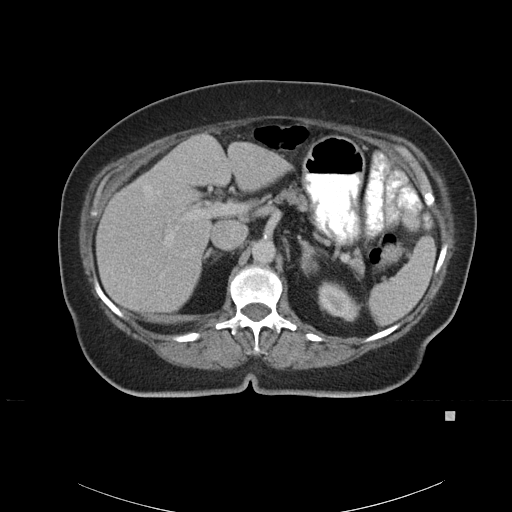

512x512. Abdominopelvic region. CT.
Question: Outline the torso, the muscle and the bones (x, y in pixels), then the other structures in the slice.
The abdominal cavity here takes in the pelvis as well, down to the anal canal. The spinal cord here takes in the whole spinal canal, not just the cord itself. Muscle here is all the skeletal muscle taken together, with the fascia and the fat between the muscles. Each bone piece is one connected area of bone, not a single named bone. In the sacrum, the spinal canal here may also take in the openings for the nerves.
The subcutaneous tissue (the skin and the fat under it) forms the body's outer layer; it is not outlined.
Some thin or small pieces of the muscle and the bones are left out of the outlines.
Answer: {"torso":[[[243,79],[329,82],[385,95],[431,123],[467,172],[477,229],[465,287],[453,317],[428,343],[419,369],[405,383],[351,398],[267,395],[250,383],[230,394],[143,398],[110,384],[84,356],[64,301],[57,249],[61,194],[73,165],[104,131],[140,107]]],"muscle":[{"outer":[[258,115],[302,116],[315,119],[321,119],[325,121],[333,121],[342,124],[349,124],[364,128],[375,129],[401,136],[412,142],[424,153],[432,166],[439,173],[443,179],[445,185],[447,187],[449,199],[451,202],[451,211],[453,214],[454,226],[455,227],[455,232],[454,233],[455,242],[453,253],[447,266],[447,272],[445,275],[444,281],[435,295],[435,297],[432,300],[432,304],[419,321],[409,331],[398,339],[375,349],[369,350],[358,358],[350,362],[337,366],[309,368],[300,370],[282,370],[281,369],[275,369],[268,366],[259,358],[251,357],[243,364],[237,367],[230,369],[223,369],[221,371],[218,370],[205,370],[197,368],[184,368],[173,365],[167,362],[161,358],[146,344],[127,335],[113,324],[99,307],[97,300],[91,292],[90,285],[87,280],[87,276],[84,272],[84,269],[81,262],[79,252],[79,236],[78,235],[80,225],[80,214],[83,202],[89,184],[94,176],[104,166],[111,161],[114,161],[156,139],[161,138],[172,133],[201,125],[216,123],[226,120],[233,120],[251,116],[257,116]],"holes":[[[274,119],[342,132],[386,149],[424,201],[420,181],[396,149],[401,145],[412,154],[434,196],[429,211],[439,248],[447,244],[417,306],[392,332],[363,342],[364,337],[321,333],[302,321],[285,283],[276,310],[297,327],[279,333],[262,327],[258,353],[249,327],[238,327],[234,335],[215,328],[236,312],[228,288],[221,307],[207,314],[114,313],[94,288],[97,217],[90,211],[100,184],[99,212],[122,182],[178,141]],[[187,332],[198,332],[200,334],[200,336],[199,337],[199,338],[196,340],[194,340],[193,341],[181,341],[180,342],[179,342],[178,341],[176,341],[175,340],[172,339],[172,336],[173,336],[174,335],[177,335],[178,334],[183,334],[184,333],[186,333]],[[308,332],[312,332],[313,333],[315,333],[316,334],[317,334],[318,335],[319,335],[320,336],[321,336],[322,337],[323,337],[325,339],[323,341],[312,341],[311,340],[309,340],[308,339],[307,339],[305,337],[305,334],[306,333],[307,333]]]}],"bones":[{"outer":[[251,264],[268,267],[279,276],[282,292],[276,310],[297,327],[295,330],[283,327],[279,333],[262,327],[258,336],[258,353],[254,352],[254,335],[249,327],[238,327],[234,335],[229,328],[215,328],[217,322],[235,314],[236,307],[229,285],[240,269]],"hole":[[252,303],[261,303],[262,304],[264,304],[269,309],[269,313],[268,314],[267,314],[264,317],[263,317],[261,319],[260,319],[259,320],[253,320],[252,319],[251,319],[248,316],[247,316],[242,312],[242,309],[246,305],[247,305],[248,304],[251,304]]},[[399,145],[404,146],[408,149],[422,170],[425,173],[431,187],[432,193],[434,196],[434,202],[430,207],[426,204],[424,195],[422,191],[422,188],[420,185],[420,181],[418,179],[414,170],[411,167],[409,162],[406,158],[396,149],[396,147]],[[95,277],[96,277],[99,283],[99,285],[101,287],[101,289],[103,291],[103,292],[107,296],[107,297],[109,298],[109,299],[123,313],[125,318],[121,318],[115,313],[114,313],[110,309],[110,308],[99,297],[99,296],[97,294],[94,288],[94,278]],[[397,323],[400,323],[400,325],[396,329],[395,329],[389,334],[383,337],[378,338],[375,340],[372,340],[371,341],[368,341],[367,342],[363,342],[362,341],[363,339],[364,339],[366,337],[368,336],[370,336],[386,328],[388,328]],[[187,332],[198,332],[200,334],[200,336],[199,337],[199,338],[196,340],[194,340],[193,341],[181,341],[180,342],[179,342],[178,341],[176,341],[175,340],[172,339],[172,336],[173,336],[174,335],[177,335],[178,334],[183,334],[184,333],[186,333]],[[103,181],[104,181],[104,183],[102,186],[102,188],[100,192],[100,196],[99,197],[99,200],[97,205],[97,211],[98,213],[96,216],[91,216],[90,214],[90,211],[92,208],[92,203],[93,202],[93,200],[96,195],[96,192],[100,184]],[[444,243],[446,243],[447,244],[447,249],[446,250],[445,257],[443,260],[443,262],[439,270],[436,273],[434,273],[434,269],[436,265],[436,262],[438,258],[438,255],[439,254],[440,249],[442,245]]],"abdominal_cavity":[[[274,119],[362,139],[386,149],[411,175],[439,241],[431,281],[417,306],[399,322],[365,337],[327,335],[296,315],[286,284],[273,269],[251,263],[232,277],[221,307],[213,312],[120,309],[100,285],[93,251],[97,216],[111,192],[192,134],[219,134]]],"spinal_cord":[[[252,303],[261,303],[262,304],[264,304],[269,309],[269,313],[268,314],[267,314],[264,317],[263,317],[261,319],[260,319],[259,320],[253,320],[252,319],[251,319],[248,316],[247,316],[242,312],[242,309],[246,305],[247,305],[248,304],[251,304]]]}